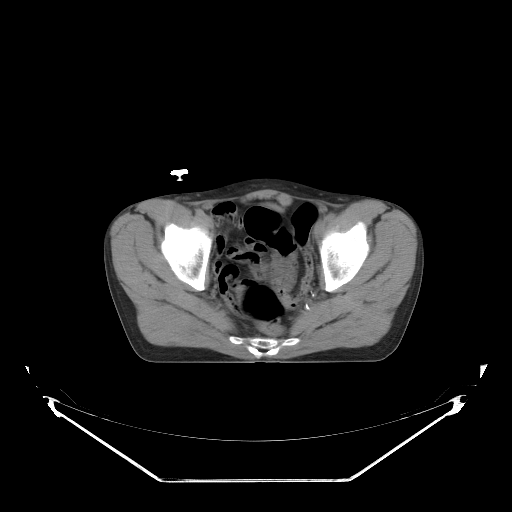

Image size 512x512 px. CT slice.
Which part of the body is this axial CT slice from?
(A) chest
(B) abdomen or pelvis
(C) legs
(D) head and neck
Answer: (B) abdomen or pelvis
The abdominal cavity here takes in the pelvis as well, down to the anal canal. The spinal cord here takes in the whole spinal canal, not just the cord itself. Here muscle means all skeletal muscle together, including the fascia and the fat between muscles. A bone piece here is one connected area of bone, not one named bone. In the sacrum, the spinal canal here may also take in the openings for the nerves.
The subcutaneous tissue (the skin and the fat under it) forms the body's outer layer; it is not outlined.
Outlines (x, y in pixels):
spinal cord: 260,348 261,348 262,349 263,349 264,349 265,350 265,351 264,352 263,352 262,351 261,351 260,351 259,350 259,349
bones 1: 170,222 184,228 189,228 194,226 199,226 205,228 208,230 213,237 209,254 208,265 205,273 205,281 204,282 205,288 203,290 195,290 190,285 181,281 175,275 161,252 160,244 164,238 164,226 167,223
bones 2: 358,221 364,222 367,227 366,239 369,245 368,254 357,273 352,279 343,284 334,291 331,292 326,291 324,289 325,286 324,276 322,271 320,254 318,249 319,242 326,232 329,231 339,231 340,232 346,231
bones 3: 231,335 245,338 258,336 259,337 270,337 276,338 279,340 289,337 297,337 299,338 299,341 293,345 282,346 277,353 273,355 262,356 257,358 247,349 246,341 244,343 235,344 229,340 229,336
torso: 258,177 282,178 324,190 387,200 402,206 415,218 420,226 424,245 421,286 404,335 397,348 386,358 373,363 336,365 154,364 140,358 134,352 121,325 106,281 103,237 110,220 124,207 150,197 206,190
muscle: 262,189 334,203 370,199 393,205 410,218 417,239 414,271 389,330 378,342 288,358 265,357 300,341 297,336 277,338 284,337 294,318 318,297 320,265 323,289 331,293 353,279 370,251 364,221 358,220 346,230 326,231 318,242 316,228 333,208 297,199 283,205 273,198 204,202 199,208 209,218 213,235 199,225 184,227 170,221 163,226 159,244 174,275 195,291 206,288 209,265 209,291 239,333 247,336 231,334 228,340 235,345 246,342 246,349 255,357 159,346 144,338 135,307 112,263 110,230 115,220 129,208 153,199 203,200
abdominal cavity: 255,199 273,199 283,206 288,206 295,200 309,201 333,209 318,222 314,231 320,262 318,295 293,318 286,334 279,337 242,335 234,320 210,291 209,261 214,231 212,222 200,208 201,205 226,200 244,203